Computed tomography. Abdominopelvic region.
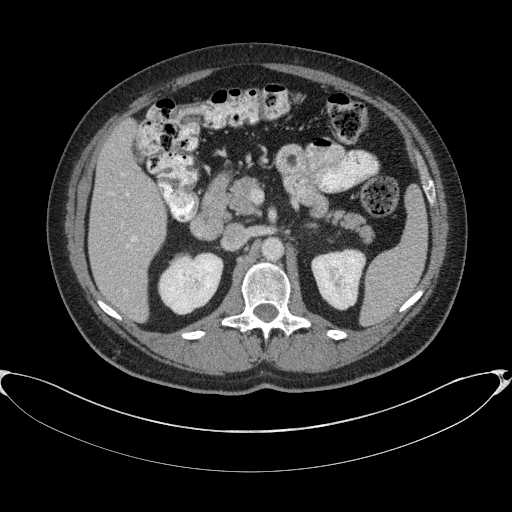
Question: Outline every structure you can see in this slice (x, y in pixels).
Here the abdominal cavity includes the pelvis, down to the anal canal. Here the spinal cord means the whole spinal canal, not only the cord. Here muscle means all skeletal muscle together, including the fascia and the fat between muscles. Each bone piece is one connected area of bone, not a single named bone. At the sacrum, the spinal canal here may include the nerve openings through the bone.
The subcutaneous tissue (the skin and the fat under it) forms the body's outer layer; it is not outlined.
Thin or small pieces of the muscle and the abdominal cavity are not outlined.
Answer: The muscle is outlined by 221 376; 223 376; 227 373; 245 371; 255 367; 261 363; 266 363; 275 368; 285 371; 295 371; 296 372; 305 372; 306 373; 317 373; 318 372; 327 371; 349 364; 370 354; 383 346; 398 333; 421 310; 422 307; 431 295; 437 282; 439 270; 445 255; 445 250; 447 243; 446 238; 448 233; 448 221; 447 220; 447 205; 445 201; 445 194; 443 190; 443 185; 441 181; 437 163; 434 158; 433 153; 424 137; 414 123; 403 112; 388 101; 374 93; 338 76; 308 67; 304 67; 293 64; 286 64; 285 63; 275 63; 274 62; 265 62; 264 63; 260 63; 259 62; 244 62; 243 63; 242 62; 241 63; 235 63; 229 65; 206 68; 186 73; 177 77; 176 76; 145 92; 118 109; 95 133; 74 163; 67 192; 64 232; 65 233; 65 238; 66 239; 71 266; 76 275; 78 282; 85 293; 85 296; 88 302; 98 318; 122 338; 124 338; 128 342; 131 343; 146 354; 161 362; 192 372; 208 374; 209 375; 220 375 with holes at 265 340; 273 328; 288 336; 311 325; 288 309; 294 277; 306 307; 338 327; 325 332; 336 340; 347 336; 344 328; 370 327; 414 304; 423 293; 417 287; 429 262; 429 206; 436 192; 422 157; 416 154; 418 176; 397 126; 371 104; 327 84; 244 65; 163 94; 114 126; 92 173; 84 249; 99 306; 118 320; 162 332; 213 311; 233 269; 245 263; 244 309; 221 324; 241 332; 259 328 and at 186 339; 197 339; 198 338; 200 338; 201 337; 202 337; 206 333; 205 332; 205 331; 204 331; 203 330; 194 330; 193 331; 185 331; 184 332; 181 332; 181 333; 180 334; 180 335; 183 338; 185 338. The bones appear in 6 outlined pieces: piece 1: 265 340; 273 328; 281 329; 288 336; 296 329; 309 327; 311 322; 303 316; 292 314; 288 309; 291 287; 283 269; 268 262; 258 262; 246 271; 242 280; 244 309; 238 314; 222 318; 221 324; 237 327; 241 332; 259 328; inner edge: 264 321; 270 321; 273 318; 274 318; 277 315; 277 314; 278 313; 278 312; 274 306; 273 306; 270 304; 261 304; 260 305; 259 305; 258 306; 257 306; 254 309; 254 313; 259 318; 260 318; 262 320; 263 320; piece 2: 431 206; 434 205; 436 202; 436 192; 435 191; 434 184; 427 171; 427 168; 424 163; 424 161; 422 157; 417 153; 416 154; 416 160; 418 165; 418 169; 420 173; 420 178; 422 182; 422 186; 424 189; 424 191; 426 194; 428 201; piece 3: 400 312; 402 311; 404 311; 406 309; 410 307; 413 304; 414 304; 419 299; 419 298; 423 293; 423 290; 422 289; 418 289; 409 298; 408 298; 408 299; 406 300; 402 304; 402 305; 400 306; 400 307; 398 309; 398 311; piece 4: 118 320; 121 320; 122 319; 122 317; 115 310; 114 310; 110 306; 109 306; 105 302; 104 302; 101 299; 97 299; 97 300; 96 301; 97 302; 97 303; 99 305; 99 306; 106 313; 107 313; 112 317; 113 317; 114 318; 115 318; piece 5: 336 340; 338 339; 342 339; 346 337; 347 336; 347 332; 343 329; 339 329; 338 328; 336 329; 328 329; 326 330; 325 332; 326 335; 328 337; 330 338; 332 338; 333 339; 335 339; piece 6: 186 339; 197 339; 198 338; 200 338; 201 337; 202 337; 206 333; 205 332; 205 331; 204 331; 203 330; 194 330; 193 331; 185 331; 184 332; 181 332; 181 333; 180 334; 180 335; 183 338; 185 338. The abdominal cavity is outlined by 162 332; 213 311; 241 262; 246 270; 258 261; 281 266; 290 280; 298 279; 306 307; 338 327; 364 329; 397 310; 426 271; 431 221; 391 119; 333 86; 244 65; 163 94; 114 126; 92 173; 84 233; 88 270; 102 299; 123 317. The spinal cord is outlined by 264 321; 270 321; 273 318; 274 318; 277 315; 277 314; 278 313; 278 312; 274 306; 273 306; 270 304; 261 304; 260 305; 259 305; 258 306; 257 306; 254 309; 254 313; 259 318; 260 318; 262 320; 263 320. The torso is outlined by 228 396; 263 388; 291 393; 330 390; 379 376; 420 353; 452 307; 467 250; 467 211; 458 172; 415 99; 365 63; 273 42; 189 50; 133 73; 102 94; 79 120; 60 156; 47 201; 46 241; 58 291; 78 331; 99 356; 134 377.